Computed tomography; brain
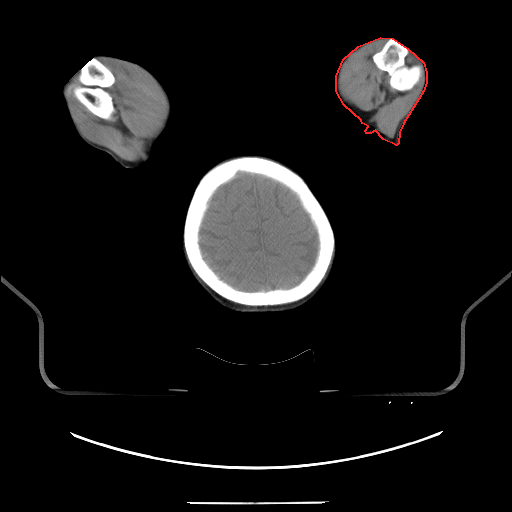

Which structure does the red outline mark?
red: left arm.
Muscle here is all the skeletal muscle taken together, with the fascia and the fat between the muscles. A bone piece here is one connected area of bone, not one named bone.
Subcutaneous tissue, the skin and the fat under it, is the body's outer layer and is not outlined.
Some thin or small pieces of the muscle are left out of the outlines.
Outlined structures:
left arm: (380, 37) (392, 38) (407, 48) (423, 62) (426, 72) (426, 82) (423, 91) (403, 123) (399, 132) (398, 143) (396, 145) (383, 139) (375, 130) (370, 133) (366, 133) (365, 130) (368, 126) (362, 123) (361, 120) (344, 105) (336, 91) (336, 76) (343, 59) (358, 46)
bones 1: (238, 156) (261, 156) (269, 158) (296, 172) (313, 192) (332, 226) (335, 245) (331, 263) (315, 289) (297, 301) (277, 305) (244, 305) (233, 302) (224, 298) (208, 286) (194, 271) (188, 260) (183, 241) (183, 228) (186, 211) (194, 189) (200, 178) (210, 168) (224, 160); inner edge: (238, 172) (262, 175) (283, 184) (297, 196) (316, 230) (318, 247) (314, 262) (304, 277) (297, 284) (291, 287) (279, 287) (268, 290) (254, 291) (238, 289) (220, 278) (202, 255) (199, 244) (199, 232) (204, 215) (208, 208) (208, 203) (215, 191) (221, 185) (234, 178)
bones 2: (94, 57) (107, 67) (112, 72) (115, 78) (115, 81) (113, 84) (105, 89) (110, 94) (115, 109) (115, 111) (111, 116) (111, 119) (104, 119) (92, 113) (76, 99) (72, 92) (72, 90) (75, 86) (78, 86) (81, 84) (78, 78) (78, 75) (81, 68) (89, 60)
bones 3: (390, 38) (392, 38) (403, 45) (409, 51) (409, 53) (405, 57) (405, 63) (408, 66) (419, 65) (422, 69) (422, 72) (418, 81) (408, 90) (400, 91) (392, 88) (389, 84) (390, 78) (389, 74) (386, 71) (379, 69) (373, 61) (372, 58) (373, 55) (379, 51)
muscle 1: (102, 58) (143, 71) (165, 98) (166, 111) (161, 125) (147, 140) (144, 155) (136, 160) (123, 159) (87, 139) (77, 124) (67, 96) (68, 81) (79, 71) (80, 84) (72, 88) (72, 95) (95, 116) (112, 119) (116, 109) (106, 89) (114, 84) (116, 78) (98, 59)
muscle 2: (380, 41) (386, 41) (371, 58) (379, 70) (388, 74) (388, 84) (392, 89) (400, 92) (410, 90) (419, 81) (422, 73) (422, 80) (418, 92) (399, 122) (392, 137) (387, 136) (378, 129) (361, 109) (350, 102) (343, 94) (340, 85) (342, 70) (347, 60) (363, 47)
muscle 3: (410, 52) (411, 52) (414, 55) (415, 55) (417, 57) (417, 58) (418, 59) (418, 61) (419, 62) (419, 64) (413, 64) (412, 65) (408, 65) (406, 63) (406, 57) (410, 53)
brain: (238, 172) (262, 175) (283, 184) (297, 196) (316, 230) (318, 247) (314, 262) (304, 277) (297, 284) (291, 287) (279, 287) (268, 290) (254, 291) (238, 289) (220, 278) (202, 255) (199, 244) (199, 232) (204, 215) (208, 208) (208, 203) (215, 191) (221, 185) (234, 178)
head: (240, 154) (260, 154) (269, 156) (299, 173) (321, 204) (333, 228) (337, 246) (331, 273) (321, 290) (307, 303) (295, 309) (282, 312) (262, 313) (231, 310) (214, 300) (198, 284) (190, 273) (184, 259) (182, 252) (184, 220) (196, 185) (200, 178) (212, 166) (225, 158)
right arm: (99, 54) (114, 56) (141, 65) (159, 81) (169, 97) (171, 105) (171, 114) (167, 126) (153, 145) (149, 160) (140, 167) (126, 168) (116, 162) (110, 155) (104, 151) (97, 149) (86, 143) (77, 133) (69, 115) (62, 95) (62, 88) (70, 78) (79, 71) (89, 60)